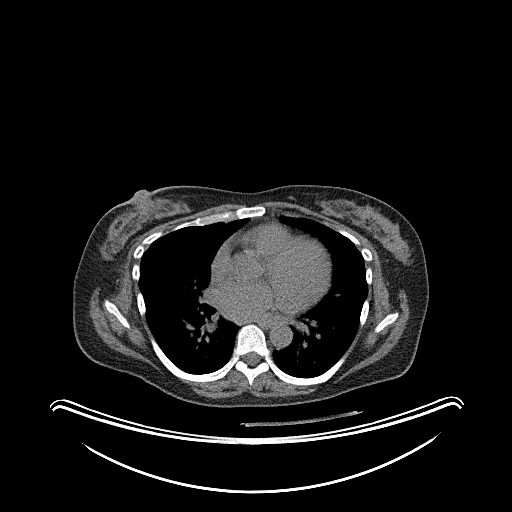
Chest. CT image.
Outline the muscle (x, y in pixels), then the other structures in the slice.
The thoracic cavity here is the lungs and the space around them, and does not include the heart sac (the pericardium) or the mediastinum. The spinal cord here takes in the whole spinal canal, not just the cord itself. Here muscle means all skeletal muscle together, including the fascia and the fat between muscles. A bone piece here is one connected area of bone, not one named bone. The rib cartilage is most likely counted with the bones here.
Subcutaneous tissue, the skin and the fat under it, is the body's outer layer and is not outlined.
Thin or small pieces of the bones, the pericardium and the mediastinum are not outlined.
{"muscle":[{"outer":[[266,201],[284,201],[310,209],[353,229],[373,245],[381,261],[383,276],[388,282],[391,308],[399,308],[398,292],[403,289],[410,311],[402,335],[388,353],[337,382],[324,383],[305,394],[262,397],[243,392],[231,397],[212,398],[196,393],[188,385],[160,373],[145,362],[112,349],[101,339],[89,315],[90,297],[100,284],[97,292],[101,298],[113,292],[120,265],[139,235],[157,225],[213,206],[241,204],[245,205],[236,209],[213,212],[181,222],[164,234],[161,230],[154,231],[133,250],[133,258],[139,259],[139,263],[131,267],[131,277],[137,281],[139,289],[135,296],[136,306],[140,316],[145,317],[151,332],[151,347],[160,362],[174,376],[193,382],[211,382],[224,378],[232,368],[245,376],[250,387],[258,375],[269,370],[281,381],[297,386],[328,381],[345,362],[345,352],[359,326],[362,327],[368,317],[370,303],[367,295],[368,286],[372,283],[372,269],[366,267],[365,262],[372,260],[372,252],[365,246],[359,249],[360,241],[345,229],[335,230],[306,216],[267,213],[266,207],[258,204]],"holes":[[[105,300],[108,300],[110,301],[117,307],[119,311],[127,320],[130,326],[129,328],[127,328],[125,327],[112,313],[109,312],[106,309],[105,307],[105,305],[104,304],[104,302]],[[394,312],[398,312],[398,316],[397,317],[397,318],[392,323],[390,323],[389,324],[388,324],[386,326],[385,326],[379,332],[375,332],[374,331],[374,329],[375,328],[375,327],[378,324],[378,323],[386,315],[387,315],[390,313],[393,313]]]}],"bones":[{"outer":[[248,324],[263,331],[274,363],[289,375],[315,377],[345,353],[346,358],[328,380],[310,385],[287,383],[269,369],[258,374],[250,386],[246,376],[234,367],[224,377],[211,381],[180,378],[156,355],[151,337],[178,368],[205,374],[230,359],[239,329]],"hole":[[249,352],[255,352],[260,357],[260,360],[259,361],[259,362],[257,364],[256,364],[254,366],[250,366],[248,364],[247,364],[244,361],[244,360],[243,359],[243,358],[244,357],[244,356],[247,353],[248,353]]},[[254,205],[260,205],[265,207],[266,213],[261,216],[235,219],[226,222],[218,221],[204,225],[190,225],[189,226],[181,227],[171,231],[175,226],[181,223],[193,220],[198,217],[206,216],[213,213],[220,213],[228,210],[236,210],[244,206],[253,206]],[[158,231],[161,231],[163,233],[163,235],[160,236],[148,245],[147,247],[145,248],[145,250],[143,252],[140,258],[138,259],[134,258],[133,254],[134,253],[134,250],[136,247],[140,244],[147,236],[150,235],[154,232],[157,232]],[[105,300],[108,300],[110,301],[117,307],[119,311],[127,320],[130,326],[129,328],[127,328],[125,327],[112,313],[109,312],[106,309],[105,307],[105,305],[104,304],[104,302]],[[394,312],[398,312],[398,316],[397,317],[397,318],[392,323],[390,323],[389,324],[388,324],[386,326],[385,326],[379,332],[375,332],[374,331],[374,329],[375,328],[375,327],[378,324],[378,323],[386,315],[387,315],[390,313],[393,313]],[[366,299],[368,300],[368,302],[369,303],[369,309],[368,310],[368,314],[367,315],[367,317],[365,320],[365,322],[364,324],[362,326],[360,326],[359,325],[359,320],[360,319],[360,314],[361,313],[361,310],[362,309],[362,306],[363,305],[363,303]],[[138,292],[140,292],[142,294],[142,296],[143,297],[143,300],[144,301],[144,304],[145,305],[145,315],[144,316],[141,316],[141,315],[140,314],[140,313],[138,310],[138,307],[137,306],[137,299],[136,298],[136,296],[137,295],[137,293]],[[339,229],[342,229],[343,230],[345,230],[347,232],[348,232],[349,233],[350,233],[352,235],[353,235],[359,241],[360,244],[357,246],[350,239],[349,239],[346,236],[345,236],[344,235],[341,234],[339,232],[338,232],[337,231],[337,230],[338,230]],[[362,247],[365,247],[366,248],[367,248],[371,252],[371,256],[372,257],[372,258],[371,259],[371,260],[370,261],[365,261],[365,260],[364,259],[364,258],[363,257],[363,256],[362,255],[362,254],[361,253],[361,252],[360,251],[360,249]]],"spinal_cord":[[[249,352],[255,352],[260,357],[260,360],[259,361],[259,362],[257,364],[256,364],[254,366],[250,366],[248,364],[247,364],[244,361],[244,360],[243,359],[243,358],[244,357],[244,356],[247,353],[248,353]]],"mediastinum":[[[220,310],[230,318],[235,319],[262,318],[272,316],[295,316],[307,310],[301,313],[293,320],[291,325],[293,334],[289,345],[283,349],[274,349],[272,351],[268,347],[264,331],[259,326],[254,323],[248,323],[239,327],[233,322],[227,320],[222,315]],[[266,214],[284,214],[285,215],[281,215],[279,217],[279,219],[278,220],[279,221],[275,219],[272,219],[271,218],[262,218],[261,217],[260,218],[255,218],[253,220],[249,222],[246,225],[245,225],[241,229],[237,231],[248,221],[248,218],[261,217]],[[319,299],[320,299],[319,300],[318,301],[317,302],[316,303],[315,304],[314,305],[313,306],[312,307],[311,307],[310,308],[309,309],[308,309],[309,308],[310,307],[311,306],[312,305],[313,305],[314,304],[315,303],[316,302],[317,301],[318,300]]],"torso":[[[290,184],[331,185],[361,191],[394,207],[415,229],[425,255],[429,299],[417,351],[405,373],[391,380],[320,401],[273,407],[210,407],[177,399],[138,377],[99,365],[83,353],[73,331],[73,281],[88,237],[105,212],[141,189],[199,185],[255,192]]],"thoracic_cavity":[[[241,219],[247,221],[218,248],[210,265],[210,280],[206,289],[207,295],[219,308],[221,315],[239,328],[231,355],[222,366],[213,371],[187,372],[166,355],[148,325],[145,316],[146,305],[138,282],[140,259],[148,246],[170,232],[190,226],[226,223]],[[286,215],[306,217],[336,231],[356,246],[364,260],[367,294],[361,306],[355,335],[344,353],[330,367],[311,377],[299,377],[285,372],[275,363],[272,352],[290,345],[294,334],[294,320],[312,308],[330,289],[333,264],[330,252],[321,241],[279,220]]],"pericardium":[[[261,218],[275,220],[294,230],[308,234],[321,242],[329,252],[331,258],[331,285],[329,289],[328,287],[321,297],[313,304],[307,309],[295,315],[272,315],[262,317],[236,318],[230,317],[218,307],[210,292],[211,265],[219,248],[228,238],[255,219]]]}